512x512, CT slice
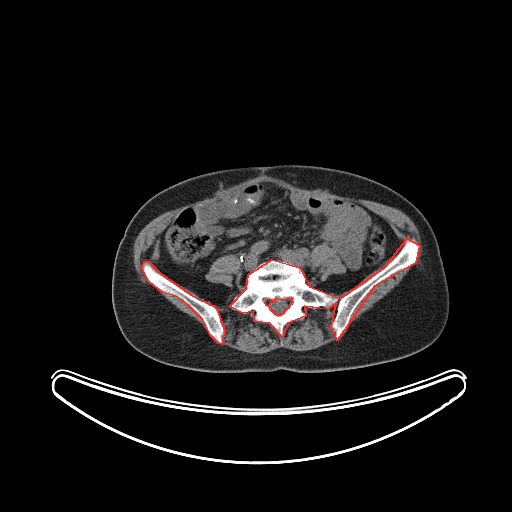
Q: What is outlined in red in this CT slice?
A: red: bones.
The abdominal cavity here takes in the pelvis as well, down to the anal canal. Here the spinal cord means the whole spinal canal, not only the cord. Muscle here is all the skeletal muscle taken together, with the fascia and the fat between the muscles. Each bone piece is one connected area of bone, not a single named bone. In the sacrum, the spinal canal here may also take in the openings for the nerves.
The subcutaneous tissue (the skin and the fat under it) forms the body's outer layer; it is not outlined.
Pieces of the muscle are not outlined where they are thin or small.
Outlined structures:
bones 1: [[407,238],[419,245],[415,263],[374,286],[337,340],[331,326],[336,303],[327,309],[304,306],[305,316],[287,323],[282,337],[269,323],[254,321],[253,311],[242,313],[229,306],[246,288],[248,274],[272,259],[299,267],[309,286],[340,298],[384,267]] with a hole at [[288,297],[291,298],[292,302],[291,304],[289,305],[288,308],[286,309],[283,312],[283,313],[280,315],[277,315],[275,314],[271,310],[270,307],[266,305],[265,303],[266,299],[268,298],[271,299],[272,301],[274,301],[276,298],[285,299]]
bones 2: [[144,261],[148,261],[159,272],[190,294],[201,300],[205,301],[209,304],[213,305],[216,308],[224,330],[224,333],[222,337],[223,341],[221,344],[218,343],[210,335],[202,319],[189,306],[182,300],[175,296],[162,292],[149,282],[142,269],[142,265]]
muscle 1: [[261,174],[281,179],[300,188],[321,190],[340,196],[367,199],[401,210],[413,221],[419,230],[422,244],[420,262],[412,267],[391,291],[353,321],[349,327],[354,311],[374,287],[395,273],[407,269],[416,263],[420,252],[420,245],[417,240],[414,237],[407,237],[402,245],[398,236],[383,217],[358,202],[339,198],[322,198],[291,190],[271,181],[252,182],[238,192],[223,199],[203,205],[184,207],[173,217],[159,235],[156,262],[157,269],[148,260],[144,260],[141,265],[142,272],[148,282],[162,293],[182,301],[197,314],[206,330],[195,319],[167,300],[155,288],[144,284],[138,278],[133,262],[135,239],[143,227],[160,214],[188,203],[210,197],[220,189],[238,184]]
muscle 2: [[232,295],[228,304],[231,310],[242,314],[253,312],[254,322],[269,324],[281,338],[287,324],[306,316],[304,307],[327,310],[336,304],[330,326],[336,340],[305,351],[278,348],[260,354],[224,346],[225,330],[220,314],[213,304],[206,301],[220,302]]
muscle 3: [[225,255],[235,255],[237,257],[240,263],[240,271],[239,272],[239,274],[236,275],[234,277],[232,281],[232,285],[231,286],[228,286],[223,283],[215,283],[214,282],[208,281],[205,277],[205,275],[208,272],[210,268],[210,266],[212,263],[216,259]]
muscle 4: [[323,244],[328,246],[330,248],[333,248],[335,250],[341,263],[343,264],[345,267],[345,271],[343,273],[339,273],[338,274],[336,273],[329,274],[326,272],[320,273],[317,269],[312,266],[310,262],[310,258],[311,257],[310,254],[314,247]]
muscle 5: [[388,261],[389,261],[384,266],[383,266],[379,270],[378,270],[367,280],[366,280],[361,284],[360,284],[359,285],[358,285],[357,286],[354,287],[355,286],[356,286],[367,275],[368,275],[373,271],[376,270],[378,268],[381,267],[383,265],[384,265]]
muscle 6: [[182,287],[184,287],[185,288],[187,288],[189,290],[191,290],[192,291],[193,291],[196,294],[197,294],[201,298],[203,298],[205,300],[204,300],[203,299],[201,299],[200,298],[195,296],[193,294],[190,293],[187,290],[186,290],[184,288],[183,288]]
abdominal cavity: [[257,182],[271,182],[291,191],[322,199],[358,203],[383,218],[401,246],[391,259],[347,290],[333,292],[313,287],[306,282],[305,272],[299,266],[272,258],[260,262],[247,274],[243,290],[220,301],[206,300],[158,270],[160,235],[184,208],[223,200]] with a hole at [[225,255],[235,255],[237,257],[240,263],[240,271],[239,272],[239,274],[236,275],[234,277],[232,281],[232,285],[231,286],[228,286],[223,283],[215,283],[214,282],[208,281],[205,277],[205,275],[208,272],[210,268],[210,266],[212,263],[216,259]]
spinal cord: [[288,297],[291,298],[292,302],[291,304],[289,305],[288,308],[286,309],[283,312],[283,313],[280,315],[277,315],[275,314],[271,310],[270,307],[266,305],[265,303],[266,299],[268,298],[271,299],[272,301],[274,301],[276,298],[285,299]]
torso: [[279,164],[330,167],[371,178],[397,191],[422,212],[439,245],[450,297],[447,323],[437,340],[417,353],[394,361],[315,373],[284,369],[239,373],[197,371],[158,362],[126,341],[112,307],[111,279],[118,244],[138,208],[160,190],[192,176],[228,168]]